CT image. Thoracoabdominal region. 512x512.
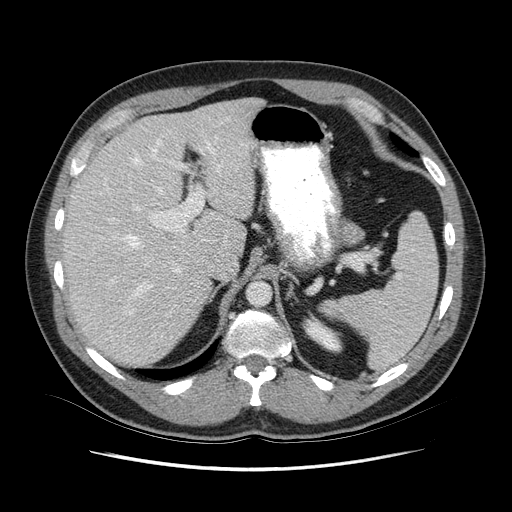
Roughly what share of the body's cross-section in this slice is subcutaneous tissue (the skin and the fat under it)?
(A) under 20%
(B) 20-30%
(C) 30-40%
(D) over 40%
Answer: (A) under 20%
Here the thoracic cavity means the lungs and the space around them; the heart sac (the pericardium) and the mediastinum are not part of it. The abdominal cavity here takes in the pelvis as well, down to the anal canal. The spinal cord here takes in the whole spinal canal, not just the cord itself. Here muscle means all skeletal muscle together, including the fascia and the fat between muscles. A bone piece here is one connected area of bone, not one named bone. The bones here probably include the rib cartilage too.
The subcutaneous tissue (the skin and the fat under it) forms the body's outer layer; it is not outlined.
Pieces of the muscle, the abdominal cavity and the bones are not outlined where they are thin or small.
{"thoracic_cavity":[[[158,380],[174,379],[189,374],[201,368],[214,355],[217,349],[218,340],[216,340],[200,356],[191,362],[185,364],[183,366],[180,366],[176,368],[172,368],[167,370],[144,370],[143,369],[138,369],[136,372],[139,373],[144,377],[151,379],[157,379]],[[416,157],[418,157],[419,156],[419,154],[416,150],[412,148],[405,141],[404,141],[399,136],[398,136],[393,132],[391,132],[390,133],[390,137],[392,141],[397,147],[398,147],[401,150],[407,153],[409,155],[411,155],[412,156],[415,156]]],"torso":[[[209,443],[253,436],[307,441],[361,429],[428,398],[463,351],[485,280],[477,210],[427,118],[408,97],[377,77],[329,63],[283,59],[200,60],[150,70],[89,103],[47,172],[28,224],[24,270],[30,305],[51,353],[88,401],[124,425],[160,437]]],"spinal_cord":[[[254,374],[256,374],[259,371],[262,370],[263,368],[267,364],[268,364],[267,362],[267,360],[265,358],[259,355],[256,355],[255,354],[253,355],[250,355],[249,356],[247,356],[242,360],[242,362],[247,367],[247,368],[252,373]]],"mediastinum":[[[226,329],[229,322],[228,316],[231,313],[237,313],[247,308],[268,311],[284,325],[284,320],[277,313],[276,295],[273,289],[273,284],[271,282],[272,276],[270,274],[265,271],[259,271],[246,280],[236,294],[236,297],[234,298],[232,304],[227,311]],[[410,159],[415,159],[415,157],[409,156],[407,154],[404,153],[397,148],[391,141],[389,137],[389,133],[391,131],[383,127],[380,127],[380,131],[382,133],[382,135],[390,142],[390,145],[391,145],[396,151],[399,151],[402,155],[405,155],[406,157]]],"abdominal_cavity":[[[343,380],[369,379],[401,362],[437,309],[443,208],[419,157],[396,152],[381,126],[361,114],[271,81],[240,83],[110,130],[72,183],[60,230],[64,289],[91,345],[140,377],[138,368],[183,365],[216,339],[219,345],[235,294],[265,270],[298,361]]],"muscle":[{"outer":[[192,426],[206,426],[207,425],[219,424],[223,421],[233,418],[241,413],[242,411],[244,411],[251,407],[256,410],[267,409],[269,411],[273,413],[276,413],[282,417],[285,417],[300,423],[322,423],[323,422],[334,421],[350,416],[370,406],[393,389],[405,383],[424,366],[427,361],[443,345],[454,332],[454,330],[457,325],[462,304],[462,293],[463,292],[462,289],[462,270],[464,262],[464,250],[466,246],[463,218],[455,185],[446,167],[430,146],[413,129],[390,109],[382,104],[369,93],[356,86],[347,83],[336,82],[335,81],[327,81],[326,80],[292,79],[291,78],[275,78],[266,76],[257,76],[256,77],[247,77],[241,79],[222,81],[209,84],[178,86],[177,87],[170,87],[169,88],[148,91],[130,97],[116,104],[107,110],[83,133],[73,145],[66,156],[53,190],[44,227],[44,260],[46,264],[46,268],[48,271],[48,275],[53,296],[52,298],[52,309],[57,332],[62,341],[82,361],[110,385],[125,394],[145,410],[158,417],[163,418],[171,422],[184,425],[191,425]],"holes":[[[253,406],[261,404],[260,386],[276,375],[275,359],[290,360],[291,351],[323,390],[334,387],[330,379],[375,377],[369,385],[374,387],[406,369],[408,363],[401,361],[435,311],[439,309],[440,320],[452,298],[452,286],[444,288],[443,283],[445,245],[453,246],[455,233],[452,224],[444,222],[433,182],[444,186],[445,178],[432,159],[379,125],[384,121],[381,111],[355,97],[345,99],[346,107],[318,104],[274,82],[250,81],[177,108],[139,115],[132,108],[117,110],[72,158],[69,174],[75,179],[54,219],[61,231],[62,259],[55,262],[53,276],[91,344],[85,349],[100,367],[123,380],[119,368],[165,380],[201,368],[220,343],[237,362],[233,374],[251,385]],[[173,395],[175,394],[180,394],[182,392],[185,391],[188,388],[189,388],[191,386],[193,382],[194,377],[192,376],[191,377],[184,378],[183,379],[181,379],[177,381],[171,382],[163,386],[161,388],[161,389],[165,393],[167,393],[168,394],[172,394]]]}],"bones":[{"outer":[[253,406],[261,404],[259,397],[260,386],[276,375],[275,359],[283,357],[286,360],[290,360],[291,339],[287,335],[284,326],[270,313],[247,309],[229,316],[230,322],[221,344],[237,362],[233,369],[233,374],[251,385],[252,394],[249,403]],"hole":[[254,374],[256,374],[259,371],[262,370],[263,368],[267,364],[268,364],[267,362],[267,360],[265,358],[259,355],[256,355],[255,354],[253,355],[250,355],[249,356],[247,356],[242,360],[242,362],[247,367],[247,368],[252,373]]},[[74,177],[77,176],[85,166],[85,162],[95,143],[95,140],[97,136],[103,132],[108,131],[110,129],[116,127],[133,117],[135,115],[135,111],[132,108],[120,109],[112,113],[100,123],[98,127],[84,141],[79,150],[71,160],[69,174]],[[378,124],[382,123],[384,121],[384,116],[382,112],[375,106],[370,104],[366,101],[364,101],[359,98],[356,98],[355,97],[348,97],[345,99],[344,101],[347,107],[348,107],[350,109],[353,109],[361,113],[370,121],[374,122],[375,123],[377,123]],[[123,380],[124,380],[125,378],[119,372],[118,369],[113,364],[112,364],[105,358],[104,358],[103,356],[102,356],[94,348],[90,346],[86,346],[85,347],[85,349],[87,353],[100,367],[101,367],[106,371],[109,372],[114,376],[118,378],[120,378]],[[369,387],[374,387],[378,385],[384,384],[386,382],[397,377],[406,369],[406,368],[408,366],[408,363],[406,362],[403,362],[402,363],[399,363],[395,366],[391,367],[388,370],[378,376],[376,378],[376,380],[369,385]],[[441,186],[444,186],[445,185],[445,178],[441,170],[439,168],[437,164],[428,156],[424,154],[422,154],[420,155],[420,158],[424,166],[427,169],[427,170],[432,176],[434,180]],[[173,395],[175,394],[180,394],[182,392],[185,391],[188,388],[189,388],[191,386],[193,382],[194,377],[192,376],[191,377],[184,378],[183,379],[181,379],[177,381],[171,382],[163,386],[161,388],[161,389],[165,393],[167,393],[168,394],[172,394]],[[439,320],[440,320],[443,316],[451,301],[451,299],[452,298],[452,294],[453,293],[453,288],[451,285],[448,285],[444,288],[444,290],[443,291],[443,293],[442,294],[442,296],[441,297],[441,299],[438,306],[438,308],[439,309],[438,319]],[[449,247],[452,247],[454,244],[454,242],[455,241],[455,233],[454,232],[454,229],[453,228],[453,226],[452,225],[452,224],[449,221],[447,221],[445,223],[445,224],[444,225],[444,232],[443,233],[444,234],[444,241],[445,242],[445,243]],[[323,390],[331,390],[334,387],[334,384],[331,381],[330,381],[329,380],[327,380],[324,378],[322,378],[319,376],[317,376],[316,375],[315,375],[314,374],[312,374],[311,373],[310,374],[309,374],[309,377],[312,380],[312,381],[320,389],[322,389]],[[62,290],[63,289],[63,270],[62,269],[62,265],[61,264],[61,261],[60,260],[57,260],[54,264],[54,270],[53,271],[53,276],[54,277],[54,279],[55,280],[55,282],[56,283],[56,284],[58,286],[58,287]]]}